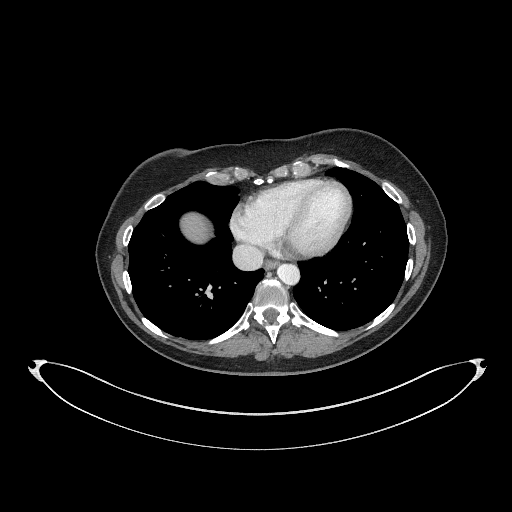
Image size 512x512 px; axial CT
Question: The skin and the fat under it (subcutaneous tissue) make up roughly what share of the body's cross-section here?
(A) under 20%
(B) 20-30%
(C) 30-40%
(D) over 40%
Answer: (B) 20-30%
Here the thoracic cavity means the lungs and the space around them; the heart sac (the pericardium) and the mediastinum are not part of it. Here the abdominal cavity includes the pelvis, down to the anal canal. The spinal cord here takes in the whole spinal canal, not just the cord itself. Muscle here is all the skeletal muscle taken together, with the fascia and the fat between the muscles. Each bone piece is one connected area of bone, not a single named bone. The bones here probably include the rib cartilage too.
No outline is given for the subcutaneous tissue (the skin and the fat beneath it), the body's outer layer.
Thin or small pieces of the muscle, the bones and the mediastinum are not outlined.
The pericardium is outlined by (296, 260) (307, 260) (327, 253) (339, 239) (340, 234) (350, 217) (350, 213) (352, 211) (351, 196) (347, 189) (334, 178) (327, 176) (306, 176) (264, 184) (248, 191) (238, 202) (232, 212) (229, 226) (233, 237) (237, 242) (253, 245) (261, 249) (264, 253) (277, 259). The bones appear in 11 outlined pieces: piece 1: (208, 344) (222, 341) (249, 328) (250, 319) (265, 328) (274, 344) (279, 328) (289, 321) (294, 326) (304, 325) (326, 335) (337, 337) (340, 334) (308, 317) (295, 301) (290, 299) (287, 290) (279, 281) (264, 278) (257, 284) (252, 299) (239, 319) (223, 333) (207, 340), around a hole outlined by (269, 322) (273, 322) (275, 320) (275, 319) (276, 318) (276, 317) (277, 316) (277, 315) (278, 314) (278, 312) (276, 310) (275, 310) (274, 309) (273, 309) (272, 308) (269, 308) (268, 309) (267, 309) (266, 310) (265, 310) (263, 312) (263, 314) (264, 315) (264, 317); piece 2: (255, 184) (261, 184) (264, 182) (270, 183) (276, 177) (302, 177) (309, 175) (313, 172) (314, 168) (321, 164) (329, 164) (349, 169) (352, 168) (349, 164) (337, 158) (329, 159) (313, 157) (309, 161) (296, 160) (289, 165) (278, 166) (265, 178) (254, 178) (252, 181); piece 3: (214, 184) (228, 184) (229, 183) (233, 182) (235, 180) (248, 179) (249, 178) (249, 172) (245, 168) (239, 167) (238, 166) (234, 166) (230, 172) (221, 172) (220, 171) (216, 171) (215, 170) (209, 170) (206, 172) (204, 176) (204, 179) (210, 183) (213, 183); piece 4: (398, 204) (401, 204) (402, 203) (403, 203) (403, 201) (402, 200) (400, 195) (398, 193) (398, 192) (394, 188) (394, 187) (389, 182) (388, 182) (387, 181) (385, 181) (384, 180) (383, 181) (382, 181) (380, 183) (380, 186) (382, 188) (382, 189) (394, 201) (395, 201); piece 5: (365, 330) (366, 330) (367, 329) (369, 329) (371, 327) (376, 325) (382, 320) (383, 320) (391, 312) (391, 311) (394, 308) (394, 307) (395, 306) (395, 302) (394, 301) (393, 302) (392, 302) (381, 313) (380, 313) (370, 322) (369, 322) (364, 328) (364, 329); piece 6: (146, 211) (147, 210) (148, 210) (151, 208) (153, 208) (154, 207) (157, 206) (159, 204) (160, 204) (165, 199) (166, 196) (162, 192) (159, 192) (158, 193) (157, 193) (156, 194) (153, 195) (144, 204) (144, 209); piece 7: (165, 338) (167, 338) (169, 336) (169, 334) (164, 332) (156, 325) (152, 323) (145, 317) (143, 316) (141, 316) (140, 318) (141, 319) (141, 321) (146, 327) (147, 327) (150, 330) (151, 330) (156, 334) (162, 337) (164, 337); piece 8: (411, 245) (413, 245) (415, 243) (415, 231) (414, 230) (414, 227) (412, 225) (412, 224) (410, 222) (407, 222) (406, 223) (406, 227) (407, 228) (407, 236) (408, 237) (408, 240) (409, 241) (409, 244) (410, 244); piece 9: (129, 294) (131, 294) (131, 282) (130, 281) (130, 279) (129, 278) (129, 275) (128, 274) (128, 272) (127, 271) (127, 270) (126, 269) (125, 269) (124, 270) (123, 270) (123, 271) (122, 272) (122, 279) (123, 280) (123, 283) (124, 284) (124, 287) (125, 288) (126, 291); piece 10: (125, 247) (127, 247) (128, 245) (128, 243) (129, 242) (129, 240) (130, 239) (130, 237) (131, 236) (131, 234) (133, 230) (133, 226) (131, 224) (129, 224) (125, 228) (124, 230) (124, 232) (123, 233) (123, 237) (122, 239) (123, 240) (123, 245); piece 11: (405, 281) (406, 281) (409, 278) (409, 276) (410, 275) (410, 274) (411, 273) (411, 271) (412, 270) (412, 267) (413, 266) (413, 259) (411, 257) (409, 257) (408, 258) (408, 259) (407, 260) (407, 262) (406, 263) (406, 266) (405, 267) (405, 272) (404, 273) (404, 280). The spinal cord is outlined by (269, 322) (273, 322) (275, 320) (275, 319) (276, 318) (276, 317) (277, 316) (277, 315) (278, 314) (278, 312) (276, 310) (275, 310) (274, 309) (273, 309) (272, 308) (269, 308) (268, 309) (267, 309) (266, 310) (265, 310) (263, 312) (263, 314) (264, 315) (264, 317). The muscle appears in 3 outlined pieces: piece 1: (257, 360) (266, 360) (275, 355) (290, 358) (295, 355) (317, 357) (332, 353) (379, 329) (411, 298) (419, 288) (428, 266) (430, 239) (422, 217) (401, 189) (365, 169) (358, 163) (331, 154) (305, 155) (276, 166) (289, 164) (296, 159) (309, 160) (313, 156) (337, 157) (349, 163) (353, 170) (369, 177) (379, 185) (384, 179) (389, 181) (404, 201) (399, 205) (404, 221) (410, 221) (415, 227) (416, 243) (413, 246) (409, 245) (408, 254) (408, 257) (414, 259) (414, 266) (410, 278) (406, 282) (403, 281) (394, 300) (395, 308) (383, 321) (369, 330) (363, 329) (365, 324) (354, 329) (338, 331) (341, 335) (337, 338) (320, 334) (304, 326) (297, 328) (289, 322) (280, 328) (274, 345) (264, 328) (252, 320) (249, 329) (213, 345) (208, 345) (206, 340) (188, 340) (171, 335) (165, 339) (156, 335) (140, 321) (142, 315) (133, 296) (125, 291) (121, 279) (122, 270) (127, 269) (128, 266) (127, 248) (122, 245) (121, 239) (123, 230) (129, 223) (134, 227) (145, 211) (142, 204) (124, 220) (116, 234) (110, 274) (120, 305) (127, 316) (155, 339) (178, 349) (221, 357) (252, 355); piece 2: (166, 195) (168, 195) (170, 193) (192, 181) (199, 179) (203, 179) (203, 176) (205, 172) (209, 169) (215, 169) (221, 171) (230, 171) (233, 166) (230, 166) (229, 167) (211, 167) (210, 168) (207, 168) (188, 177) (180, 183) (171, 186) (162, 191) (159, 191) (162, 191); piece 3: (249, 179) (252, 179) (256, 176) (261, 176) (262, 177) (265, 177) (269, 173) (269, 172) (273, 168) (275, 167) (271, 168) (268, 170) (265, 170) (264, 171) (262, 171) (261, 172) (258, 172) (252, 169) (250, 169) (246, 167) (243, 167) (245, 167) (250, 172) (250, 178). The mediastinum appears in 3 outlined pieces: piece 1: (294, 300) (292, 296) (292, 288) (299, 281) (300, 277) (297, 265) (298, 261) (277, 260) (264, 254) (261, 250) (253, 246) (239, 244) (233, 240) (232, 260) (236, 267) (246, 271) (255, 270) (261, 267) (264, 270) (264, 277) (274, 277) (279, 280) (288, 290) (291, 299); piece 2: (239, 200) (241, 198) (241, 197) (252, 187) (256, 187) (258, 185) (261, 185) (255, 185) (251, 181) (252, 180) (243, 180) (242, 181) (238, 181) (237, 182) (234, 182) (231, 184) (229, 184) (232, 184) (233, 185) (235, 185) (239, 188) (240, 190) (240, 192) (239, 193); piece 3: (341, 235) (345, 231) (345, 230) (347, 229) (350, 223) (350, 220) (351, 219) (351, 215) (352, 214) (352, 212) (351, 213) (351, 217) (350, 219) (347, 222) (346, 224) (346, 226) (345, 227) (345, 229) (343, 231). The torso is outlined by (250, 376) (309, 373) (358, 358) (405, 326) (435, 285) (447, 251) (444, 213) (421, 172) (381, 136) (362, 129) (336, 127) (289, 138) (263, 138) (197, 149) (170, 148) (136, 166) (112, 200) (96, 240) (95, 261) (104, 293) (123, 325) (142, 344) (171, 361) (204, 371). The thoracic cavity appears in 2 outlined pieces: piece 1: (188, 339) (209, 339) (230, 327) (251, 299) (256, 284) (263, 278) (261, 268) (246, 272) (232, 263) (233, 238) (228, 220) (238, 201) (239, 192) (232, 185) (214, 185) (199, 180) (170, 194) (160, 205) (144, 214) (134, 228) (128, 246) (132, 294) (142, 314) (164, 331); inner edge: (196, 244) (203, 244) (207, 242) (212, 237) (213, 237) (214, 235) (213, 233) (213, 226) (208, 218) (207, 218) (202, 214) (200, 214) (198, 212) (186, 212) (180, 217) (180, 219) (179, 220) (179, 227) (180, 228) (180, 231) (182, 233) (184, 237) (186, 238) (186, 239); piece 2: (336, 330) (354, 328) (370, 321) (393, 301) (403, 280) (408, 241) (405, 223) (398, 205) (369, 178) (355, 171) (333, 166) (326, 171) (326, 174) (334, 176) (350, 192) (353, 200) (351, 223) (327, 254) (298, 262) (301, 277) (293, 288) (293, 296) (299, 307) (308, 316). The abdominal cavity is outlined by (196, 244) (203, 244) (207, 242) (212, 237) (213, 237) (214, 235) (213, 233) (213, 226) (208, 218) (207, 218) (202, 214) (200, 214) (198, 212) (186, 212) (180, 217) (180, 219) (179, 220) (179, 227) (180, 228) (180, 231) (182, 233) (184, 237) (186, 238) (186, 239).